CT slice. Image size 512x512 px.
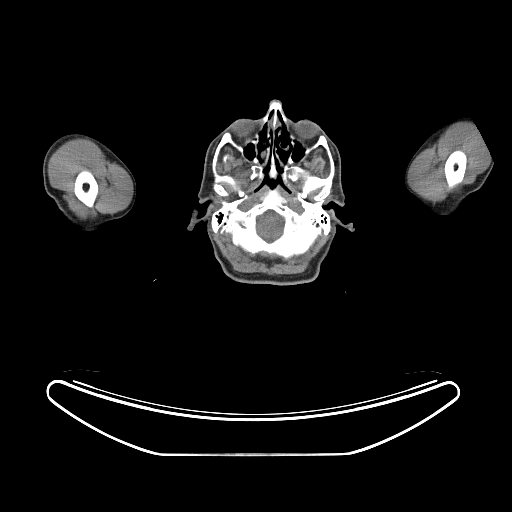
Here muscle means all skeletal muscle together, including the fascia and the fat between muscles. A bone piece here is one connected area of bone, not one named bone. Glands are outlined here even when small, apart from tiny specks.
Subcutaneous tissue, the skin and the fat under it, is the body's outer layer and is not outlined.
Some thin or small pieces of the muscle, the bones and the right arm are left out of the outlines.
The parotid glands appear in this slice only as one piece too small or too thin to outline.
Outlined structures:
bones 1: [[271,100],[281,103],[298,140],[288,150],[278,150],[282,160],[286,162],[291,152],[292,159],[299,160],[303,147],[324,135],[334,163],[330,192],[323,203],[330,216],[330,231],[319,235],[306,252],[286,259],[264,252],[246,252],[233,244],[228,233],[214,232],[211,227],[212,213],[221,201],[239,197],[228,183],[223,184],[227,196],[220,196],[213,189],[212,159],[217,145],[225,132],[230,132],[239,144],[251,137]] with holes at [[226,144],[233,147],[249,164],[250,173],[248,178],[250,181],[257,179],[258,182],[255,189],[264,189],[258,198],[258,201],[254,202],[246,209],[240,208],[239,205],[248,199],[249,195],[238,184],[233,176],[227,173],[219,174],[216,169],[219,154]] and at [[268,210],[271,210],[275,212],[282,218],[283,218],[283,226],[282,227],[282,232],[281,234],[278,237],[277,237],[272,241],[267,241],[261,236],[260,236],[257,232],[257,228],[256,227],[256,224],[257,223],[257,218],[258,216],[263,214]] and at [[319,146],[321,146],[325,150],[325,152],[328,159],[328,163],[329,164],[329,173],[328,175],[325,177],[321,177],[316,174],[313,174],[311,173],[308,169],[305,168],[301,165],[302,163],[303,164],[306,161],[306,159],[310,154],[310,153]] and at [[300,179],[301,180],[300,189],[299,190],[296,190],[294,192],[294,195],[290,198],[293,201],[299,202],[302,210],[301,211],[297,211],[288,204],[289,199],[281,193],[281,190],[283,189],[286,192],[289,192],[292,188],[291,182],[292,183],[295,183]] and at [[268,164],[269,164],[269,168],[266,174],[268,178],[270,180],[272,180],[273,181],[276,181],[279,177],[281,180],[281,183],[282,184],[277,182],[273,187],[271,187],[267,183],[263,183],[263,181],[265,177],[265,173],[264,172],[264,170]] and at [[249,144],[252,144],[252,145],[253,146],[253,149],[254,150],[254,156],[252,158],[251,158],[250,159],[249,158],[248,158],[247,157],[246,157],[246,156],[245,155],[245,148],[246,147],[246,146],[247,146]] and at [[284,126],[284,127],[286,130],[286,132],[287,133],[287,135],[288,136],[288,138],[289,139],[289,143],[288,143],[285,145],[283,145],[283,144],[282,143],[282,139],[281,138],[283,135],[283,127]] and at [[264,128],[265,128],[265,129],[264,130],[264,137],[265,138],[265,140],[264,140],[261,144],[262,145],[262,147],[261,148],[260,151],[259,151],[259,150],[258,149],[258,144],[260,141],[260,138],[261,137],[261,132]]
bones 2: [[84,169],[87,169],[89,170],[92,173],[93,176],[97,182],[98,192],[97,193],[96,198],[94,201],[94,203],[92,207],[88,207],[85,205],[78,199],[78,198],[75,195],[75,193],[74,192],[74,183],[75,182],[76,176],[80,171]]
bones 3: [[454,150],[461,150],[465,153],[466,155],[466,165],[465,166],[465,171],[464,172],[462,180],[458,184],[457,184],[452,188],[448,188],[447,182],[446,181],[446,178],[445,177],[445,174],[444,173],[444,167],[445,166],[445,162],[448,156]]
right arm: [[72,132],[79,132],[87,134],[105,144],[125,163],[133,174],[136,182],[137,191],[135,203],[130,211],[120,218],[107,221],[93,233],[82,231],[70,222],[60,211],[55,202],[46,193],[44,189],[42,164],[45,153],[49,146],[57,138],[64,134]]
head: [[273,99],[287,118],[309,118],[337,146],[345,200],[323,207],[354,226],[350,231],[338,225],[317,277],[293,285],[229,278],[213,253],[206,223],[187,229],[192,210],[202,216],[209,203],[199,203],[197,196],[209,143],[240,117],[261,118]] with holes at [[296,142],[298,142],[302,146],[303,148],[303,154],[301,157],[299,158],[299,159],[295,160],[293,159],[292,157],[292,152],[291,151],[288,153],[286,161],[284,161],[283,160],[282,155],[279,152],[279,150],[280,149],[283,151],[288,151],[295,145]] and at [[268,164],[269,164],[269,168],[266,174],[268,178],[270,180],[272,180],[273,181],[276,181],[279,177],[281,180],[281,183],[282,184],[277,182],[273,187],[271,187],[267,183],[263,183],[263,181],[265,177],[265,173],[264,172],[264,170]] and at [[249,144],[252,144],[252,145],[253,146],[253,149],[254,150],[254,156],[252,158],[251,158],[250,159],[249,158],[248,158],[247,157],[246,157],[246,156],[245,155],[245,148],[246,147],[246,146],[247,146]] and at [[284,126],[284,127],[286,130],[286,132],[287,133],[287,135],[288,136],[288,138],[289,139],[289,143],[288,143],[285,145],[283,145],[283,144],[282,143],[282,139],[281,138],[283,135],[283,127]] and at [[264,128],[265,128],[265,129],[264,130],[264,137],[265,138],[265,140],[264,140],[261,144],[262,145],[262,147],[261,148],[260,151],[259,151],[259,150],[258,149],[258,144],[260,141],[260,138],[261,137],[261,132]]
brain: [[268,210],[271,210],[275,212],[282,218],[283,218],[283,226],[282,227],[282,232],[281,234],[278,237],[277,237],[272,241],[267,241],[261,236],[260,236],[257,232],[257,228],[256,227],[256,224],[257,223],[257,218],[258,216],[263,214]]
left arm: [[464,115],[469,116],[477,128],[492,158],[493,167],[483,185],[479,189],[472,192],[463,201],[461,206],[456,212],[447,215],[435,214],[430,212],[415,196],[408,191],[404,183],[405,169],[413,154],[434,130],[448,120],[458,116],[463,116]]
muscle 1: [[73,138],[85,138],[92,141],[100,148],[110,161],[117,163],[127,172],[132,182],[133,193],[129,204],[123,210],[113,214],[99,214],[93,219],[83,220],[78,218],[68,208],[66,202],[62,198],[62,192],[51,186],[48,177],[49,159],[60,145]]; inner edge: [[84,169],[87,169],[89,170],[92,173],[93,176],[97,182],[98,192],[97,193],[96,198],[94,201],[94,203],[92,207],[88,207],[85,205],[78,199],[78,198],[75,195],[75,193],[74,192],[74,183],[75,182],[76,176],[80,171]]
muscle 2: [[460,121],[467,122],[473,121],[492,158],[492,162],[483,172],[476,177],[474,182],[465,185],[460,193],[455,195],[450,194],[444,200],[439,202],[432,202],[426,200],[416,193],[408,183],[408,172],[410,166],[414,159],[424,149],[433,144],[449,126]], around a hole outlined by [[454,150],[461,150],[465,153],[466,155],[466,165],[465,166],[465,171],[464,172],[462,180],[458,184],[457,184],[452,188],[448,188],[447,182],[446,181],[446,178],[445,177],[445,174],[444,173],[444,167],[445,166],[445,162],[448,156]]
muscle 3: [[212,231],[214,233],[228,234],[234,246],[251,255],[264,253],[272,256],[281,257],[286,260],[306,253],[319,236],[329,235],[320,250],[311,261],[310,267],[307,271],[292,275],[269,275],[264,273],[242,273],[233,270],[228,261],[222,255],[214,239]]
muscle 4: [[226,144],[233,147],[249,164],[250,173],[248,178],[250,181],[257,179],[258,182],[255,189],[264,189],[258,198],[258,201],[254,202],[246,209],[240,208],[239,205],[248,199],[249,195],[238,184],[233,176],[227,173],[219,174],[216,169],[219,154]]
muscle 5: [[319,146],[321,146],[325,150],[325,152],[328,159],[328,163],[329,164],[329,173],[328,175],[325,177],[321,177],[316,174],[313,174],[311,173],[308,169],[305,168],[301,165],[302,163],[303,164],[306,161],[306,159],[310,154],[310,153]]
muscle 6: [[212,173],[213,176],[212,189],[217,195],[220,197],[227,197],[229,195],[229,192],[225,188],[224,184],[228,184],[236,192],[236,194],[238,197],[232,200],[222,199],[220,201],[220,206],[214,210],[214,207],[216,204],[216,202],[214,198],[210,194]]
muscle 7: [[300,179],[301,180],[300,189],[299,190],[296,190],[294,192],[294,195],[290,198],[293,201],[299,202],[302,210],[301,211],[297,211],[288,204],[289,199],[281,193],[281,190],[283,189],[286,192],[289,192],[292,188],[291,182],[292,183],[295,183]]
muscle 8: [[333,182],[333,187],[334,188],[334,195],[333,196],[333,197],[332,197],[330,199],[329,199],[327,201],[326,201],[325,202],[325,203],[324,203],[325,202],[325,199],[330,194],[330,193],[331,192],[331,189],[332,188],[332,185],[333,184]]